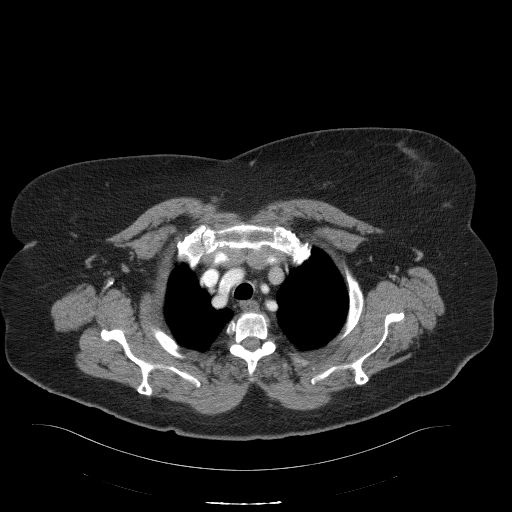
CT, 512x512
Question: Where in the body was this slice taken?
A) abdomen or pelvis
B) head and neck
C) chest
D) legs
Answer: C) chest
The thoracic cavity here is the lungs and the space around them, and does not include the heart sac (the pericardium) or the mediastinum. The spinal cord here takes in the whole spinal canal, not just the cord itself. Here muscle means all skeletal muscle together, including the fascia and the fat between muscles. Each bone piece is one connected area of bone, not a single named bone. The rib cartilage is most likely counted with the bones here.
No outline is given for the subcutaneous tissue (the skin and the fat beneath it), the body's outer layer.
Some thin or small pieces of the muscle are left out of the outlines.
The mediastinum is outlined by (263, 247) (268, 247) (291, 256) (290, 262) (293, 265) (276, 291) (276, 307) (271, 317) (264, 312) (254, 310) (242, 311) (238, 315) (227, 305) (222, 308) (214, 307) (213, 296) (206, 287) (202, 286) (201, 278) (197, 270) (201, 256) (217, 251) (234, 249) (260, 250). The muscle is outlined by (177, 196) (216, 201) (244, 215) (275, 199) (320, 199) (385, 232) (370, 235) (349, 257) (358, 280) (344, 260) (342, 275) (323, 249) (282, 225) (241, 221) (216, 229) (201, 223) (175, 244) (162, 304) (170, 334) (150, 328) (159, 345) (176, 358) (186, 357) (182, 348) (206, 351) (223, 333) (228, 352) (245, 361) (251, 377) (258, 361) (277, 349) (275, 333) (303, 352) (321, 348) (334, 338) (336, 343) (360, 319) (364, 307) (360, 283) (366, 291) (382, 279) (394, 281) (412, 266) (425, 266) (435, 276) (445, 312) (409, 358) (370, 379) (363, 362) (383, 344) (389, 325) (405, 317) (403, 311) (387, 313) (381, 336) (369, 350) (310, 379) (314, 385) (335, 371) (351, 369) (357, 386) (311, 410) (283, 407) (254, 384) (237, 406) (215, 415) (149, 397) (153, 389) (148, 379) (155, 369) (171, 371) (196, 388) (201, 383) (174, 365) (136, 356) (118, 327) (104, 327) (99, 335) (105, 342) (116, 341) (139, 367) (141, 380) (135, 390) (87, 374) (74, 363) (78, 348) (72, 336) (55, 330) (52, 304) (82, 282) (98, 290) (113, 286) (136, 302) (155, 264) (104, 239) (154, 204). The torso is outlined by (362, 126) (436, 134) (459, 149) (475, 173) (471, 226) (496, 266) (494, 328) (488, 345) (444, 387) (323, 432) (216, 440) (127, 422) (50, 393) (10, 367) (4, 353) (0, 275) (22, 247) (10, 229) (12, 203) (34, 177) (78, 161) (126, 155) (224, 159) (302, 132). The spinal cord is outlined by (248, 337) (254, 337) (255, 338) (257, 338) (258, 339) (259, 339) (261, 342) (260, 343) (260, 346) (259, 347) (258, 347) (257, 348) (256, 348) (253, 350) (250, 350) (249, 349) (247, 349) (242, 344) (242, 341) (244, 339) (245, 339). The bones appear in 6 outlined pieces: piece 1: (241, 222) (257, 225) (282, 226) (293, 232) (303, 242) (309, 242) (312, 245) (310, 255) (301, 264) (294, 265) (291, 262) (291, 255) (268, 246) (263, 246) (260, 249) (225, 249) (202, 254) (193, 270) (187, 263) (174, 260) (177, 242) (182, 240) (201, 224) (216, 230); piece 2: (248, 311) (261, 312) (266, 314) (270, 318) (271, 329) (275, 335) (275, 341) (277, 344) (276, 349) (271, 354) (265, 355) (257, 361) (256, 367) (251, 376) (248, 373) (246, 361) (229, 352) (228, 350) (229, 338) (224, 333) (227, 324) (233, 318) (237, 317) (242, 312); inner edge: (248, 337) (254, 337) (255, 338) (257, 338) (258, 339) (259, 339) (261, 342) (260, 343) (260, 346) (259, 347) (258, 347) (257, 348) (256, 348) (253, 350) (250, 350) (249, 349) (247, 349) (242, 344) (242, 341) (244, 339) (245, 339); piece 3: (104, 328) (121, 329) (131, 352) (136, 357) (151, 363) (174, 366) (197, 378) (200, 385) (196, 387) (171, 370) (155, 368) (149, 373) (147, 379) (152, 389) (151, 395) (139, 393) (136, 387) (142, 380) (140, 367) (125, 354) (123, 347) (116, 340) (102, 339) (100, 333); piece 4: (392, 312) (403, 312) (404, 317) (388, 325) (388, 333) (382, 344) (362, 362) (362, 369) (369, 378) (366, 383) (362, 385) (356, 384) (354, 371) (351, 368) (335, 370) (314, 384) (311, 383) (312, 377) (318, 373) (333, 365) (350, 363) (369, 351) (382, 336) (385, 316); piece 5: (344, 261) (359, 283) (359, 285) (363, 294) (363, 307) (362, 308) (362, 311) (360, 314) (359, 319) (355, 326) (347, 335) (335, 342) (334, 341) (335, 337) (341, 330) (346, 320) (348, 310) (349, 309) (349, 295) (348, 294) (348, 288) (343, 275) (343, 262); piece 6: (152, 327) (156, 327) (157, 328) (159, 328) (165, 333) (170, 335) (181, 347) (180, 351) (185, 355) (185, 357) (184, 358) (179, 358) (178, 357) (176, 357) (170, 354) (167, 351) (166, 351) (160, 345) (160, 344) (154, 337) (153, 333) (152, 332) (152, 330) (151, 329). The thoracic cavity appears in 2 outlined pieces: piece 1: (313, 246) (320, 248) (331, 258) (343, 277) (347, 288) (348, 309) (345, 320) (340, 330) (330, 341) (321, 347) (303, 351) (297, 349) (282, 335) (274, 332) (272, 329) (271, 318) (277, 307) (276, 294) (278, 289) (286, 279) (290, 269) (294, 266) (301, 265) (309, 258); piece 2: (174, 261) (177, 263) (187, 264) (188, 267) (193, 271) (196, 268) (201, 286) (206, 288) (212, 296) (212, 305) (214, 308) (222, 309) (227, 306) (231, 308) (237, 315) (226, 324) (223, 332) (204, 351) (182, 347) (171, 335) (165, 321) (163, 313) (164, 295) (166, 283).